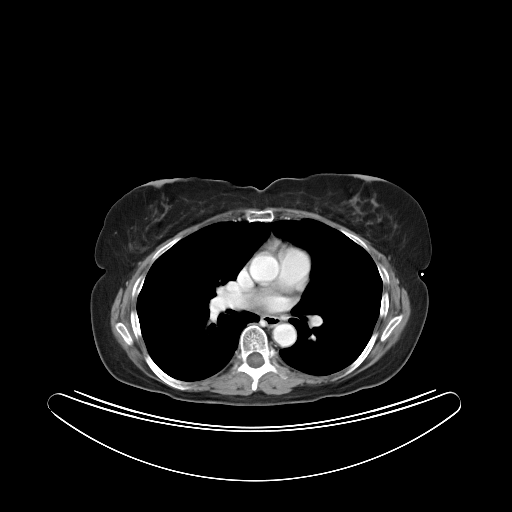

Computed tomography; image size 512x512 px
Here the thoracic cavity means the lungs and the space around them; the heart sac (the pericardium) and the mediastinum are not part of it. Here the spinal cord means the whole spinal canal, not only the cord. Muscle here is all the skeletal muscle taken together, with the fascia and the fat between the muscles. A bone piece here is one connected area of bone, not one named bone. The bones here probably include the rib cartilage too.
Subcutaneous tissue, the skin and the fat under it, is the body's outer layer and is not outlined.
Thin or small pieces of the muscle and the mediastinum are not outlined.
The bones appear in 12 outlined pieces: piece 1: [[251,323],[258,325],[265,332],[269,345],[277,352],[281,364],[287,368],[285,372],[287,377],[284,379],[272,371],[263,374],[257,382],[257,388],[255,391],[252,390],[251,387],[253,380],[247,373],[231,370],[235,351],[239,345],[240,335],[243,329]], around a hole outlined by [[252,353],[259,353],[262,356],[262,358],[263,359],[263,363],[261,365],[260,365],[259,366],[258,366],[257,367],[253,367],[252,366],[251,366],[247,362],[247,358],[248,357],[248,356],[250,354],[251,354]]; piece 2: [[146,352],[148,353],[152,360],[165,373],[166,373],[168,375],[175,379],[181,380],[185,382],[190,382],[192,387],[188,390],[180,390],[179,389],[171,387],[164,383],[160,379],[160,378],[151,370],[151,369],[147,364],[145,360],[145,357],[144,356]]; piece 3: [[375,331],[377,332],[378,336],[376,338],[370,351],[368,353],[364,360],[355,369],[354,369],[348,374],[344,376],[339,377],[333,380],[334,378],[339,376],[345,370],[345,369],[358,357],[358,356],[364,349],[365,346],[369,341],[373,332]]; piece 4: [[248,209],[254,209],[255,210],[262,210],[263,209],[271,209],[274,212],[274,214],[275,215],[275,218],[273,220],[272,220],[271,221],[269,221],[268,222],[264,222],[263,221],[248,221],[244,218],[244,214],[245,213],[246,210],[247,210]]; piece 5: [[400,314],[401,314],[402,315],[402,318],[401,319],[400,322],[392,330],[391,333],[385,339],[385,340],[382,341],[380,339],[380,336],[381,335],[384,328],[386,326],[386,325],[388,323],[388,322],[393,317],[394,317],[395,316],[397,316]]; piece 6: [[133,309],[135,309],[137,312],[137,316],[138,317],[139,326],[140,327],[140,330],[141,331],[141,335],[142,336],[142,337],[141,338],[136,338],[135,337],[135,335],[133,332],[133,329],[132,328],[132,326],[131,325],[131,320],[130,319],[130,313]]; piece 7: [[177,236],[181,236],[182,238],[180,239],[177,242],[176,242],[171,247],[170,247],[167,250],[166,250],[161,255],[160,255],[151,264],[151,259],[153,255],[155,253],[155,252],[162,246],[163,246],[165,244],[166,244],[172,239],[173,239]]; piece 8: [[117,322],[121,322],[126,327],[126,328],[128,330],[128,332],[130,334],[132,338],[132,340],[133,341],[133,343],[131,345],[129,345],[127,343],[126,343],[126,342],[123,339],[121,335],[116,330],[116,328],[115,327],[115,324]]; piece 9: [[383,292],[386,292],[388,294],[388,298],[389,299],[389,303],[388,304],[388,309],[387,310],[387,313],[386,314],[386,315],[384,317],[379,317],[379,312],[380,311],[380,306],[381,305],[381,298],[382,297],[382,294],[383,293]]; piece 10: [[142,274],[144,274],[145,275],[145,277],[144,278],[144,281],[141,287],[141,289],[137,297],[136,298],[132,298],[132,296],[131,294],[132,293],[132,289],[133,288],[133,285],[135,281],[137,279],[137,278],[140,275]]; piece 11: [[341,228],[359,237],[366,244],[366,245],[369,249],[369,251],[368,252],[362,246],[356,243],[349,237],[348,237],[346,235],[342,233],[339,230],[339,229]]; piece 12: [[377,263],[379,263],[380,264],[381,264],[386,269],[386,270],[388,273],[388,275],[389,276],[389,283],[388,283],[387,284],[383,284],[382,279],[380,276],[380,274],[379,273],[379,271],[378,270],[378,268],[377,267],[377,265],[376,264]]. The spinal cord is outlined by [[252,353],[259,353],[262,356],[262,358],[263,359],[263,363],[261,365],[260,365],[259,366],[258,366],[257,367],[253,367],[252,366],[251,366],[247,362],[247,358],[248,357],[248,356],[250,354],[251,354]]. The torso is outlined by [[321,172],[391,181],[411,194],[425,214],[432,245],[430,262],[421,272],[428,313],[415,348],[395,375],[346,395],[241,406],[173,399],[108,372],[94,343],[89,304],[102,274],[94,259],[95,243],[116,200],[160,178],[196,176],[262,189],[278,178]]. The thoracic cavity is outlined by [[304,218],[339,231],[376,265],[378,317],[357,357],[326,375],[282,361],[279,351],[298,338],[289,319],[310,280],[311,257],[270,231],[233,281],[239,308],[258,319],[242,329],[231,361],[194,381],[165,372],[148,352],[137,311],[152,264],[214,223]]. The muscle appears in 3 outlined pieces: piece 1: [[267,207],[286,207],[316,213],[363,237],[378,251],[389,258],[389,262],[399,279],[399,284],[407,291],[411,312],[399,339],[384,355],[369,367],[336,383],[297,386],[283,394],[267,394],[262,391],[256,391],[260,378],[268,372],[275,373],[284,380],[288,377],[286,374],[288,368],[282,362],[296,370],[315,376],[326,376],[344,369],[332,379],[333,381],[348,375],[365,360],[371,351],[379,336],[378,332],[374,331],[374,328],[378,318],[384,318],[387,315],[390,303],[389,294],[383,291],[383,285],[390,283],[389,273],[381,263],[374,261],[369,253],[369,247],[359,236],[342,227],[338,230],[321,221],[308,217],[299,219],[275,219],[275,212],[271,208],[265,208]] with a hole at [[400,314],[401,314],[402,315],[402,318],[401,319],[400,322],[392,330],[391,333],[385,339],[385,340],[382,341],[380,339],[380,336],[381,335],[384,328],[386,326],[386,325],[388,323],[388,322],[393,317],[394,317],[395,316],[397,316]]; piece 2: [[237,208],[258,209],[246,209],[243,214],[244,219],[214,222],[184,237],[177,235],[162,245],[152,255],[151,265],[146,274],[140,274],[134,281],[130,295],[132,299],[136,299],[136,309],[133,308],[129,313],[130,325],[134,337],[136,339],[142,338],[144,342],[147,350],[143,355],[146,364],[162,382],[149,377],[131,361],[112,334],[110,311],[119,289],[125,287],[125,282],[134,272],[138,262],[162,242],[216,214]], around a hole outlined by [[117,322],[121,322],[126,327],[126,328],[128,330],[128,332],[130,334],[132,338],[132,340],[133,341],[133,343],[131,345],[129,345],[127,343],[126,343],[126,342],[123,339],[121,335],[116,330],[116,328],[115,327],[115,324]]; piece 3: [[233,359],[233,362],[230,367],[230,370],[236,372],[243,372],[247,374],[251,378],[252,380],[250,387],[251,390],[253,391],[252,393],[248,395],[227,395],[210,391],[186,391],[190,390],[193,387],[191,382],[203,380],[216,374],[225,368]]. The pericardium is outlined by [[272,236],[279,238],[285,242],[288,242],[305,250],[310,257],[309,279],[303,291],[299,294],[295,304],[289,310],[276,314],[270,314],[261,311],[255,311],[244,296],[244,294],[240,290],[240,286],[238,284],[238,278],[240,272],[244,266],[252,256]]. The mediastinum is outlined by [[239,272],[237,278],[239,290],[255,312],[276,315],[285,313],[291,309],[291,316],[288,321],[297,333],[297,338],[293,345],[281,348],[278,353],[270,345],[266,332],[258,324],[252,322],[256,322],[259,317],[254,313],[240,308],[233,296],[234,281]].